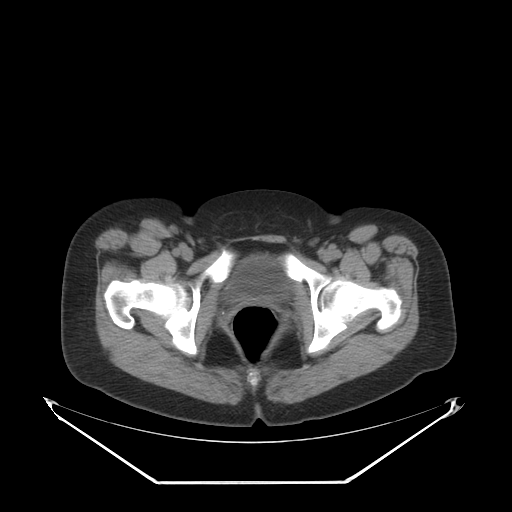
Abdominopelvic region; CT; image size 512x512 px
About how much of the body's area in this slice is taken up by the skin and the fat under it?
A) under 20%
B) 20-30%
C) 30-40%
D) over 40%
D) over 40%
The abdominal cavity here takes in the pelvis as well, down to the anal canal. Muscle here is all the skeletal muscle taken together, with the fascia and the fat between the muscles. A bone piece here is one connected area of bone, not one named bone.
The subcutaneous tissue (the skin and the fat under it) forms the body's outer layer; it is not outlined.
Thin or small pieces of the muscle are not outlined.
Outlines:
torso: 253 188; 296 192; 334 213; 360 205; 391 208; 429 229; 450 275; 457 332; 450 361; 356 409; 280 426; 268 426; 259 418; 249 427; 179 420; 79 382; 62 355; 60 299; 67 248; 83 220; 127 196; 169 196; 191 213; 208 198
abdominal cavity: 243 241; 259 241; 269 244; 284 245; 285 248; 279 258; 285 274; 293 281; 294 299; 291 301; 292 308; 287 307; 279 315; 275 331; 256 366; 252 366; 247 361; 232 329; 218 317; 218 296; 220 289; 238 256; 238 253; 232 244
bones 1: 223 248; 234 250; 237 256; 222 282; 213 282; 208 277; 201 285; 194 328; 198 351; 195 355; 176 348; 164 320; 149 310; 133 308; 131 314; 135 324; 130 329; 113 322; 103 296; 112 280; 177 282; 190 295; 188 282; 209 266
bones 2: 286 251; 307 266; 334 279; 342 277; 368 288; 394 288; 402 300; 397 322; 379 331; 376 322; 381 313; 376 308; 369 308; 348 322; 347 327; 325 348; 307 353; 306 349; 314 333; 310 290; 304 280; 296 281; 286 274; 280 258
bones 3: 249 368; 253 368; 254 369; 255 369; 258 371; 258 374; 257 375; 257 376; 258 377; 258 384; 257 385; 257 386; 256 387; 256 388; 255 388; 254 389; 251 386; 251 385; 247 380; 247 375; 248 374; 248 370; 249 369
muscle: 146 217; 157 218; 163 222; 166 226; 169 227; 169 229; 173 234; 173 240; 172 241; 173 257; 177 262; 186 265; 190 264; 197 258; 208 254; 217 247; 218 243; 223 242; 225 239; 243 236; 260 235; 261 234; 276 234; 277 235; 283 235; 287 237; 295 237; 298 240; 299 247; 306 252; 307 256; 320 261; 322 264; 333 264; 343 254; 345 246; 345 236; 353 228; 358 225; 368 222; 388 227; 394 232; 403 234; 408 237; 416 245; 418 249; 417 255; 417 260; 419 264; 419 272; 417 277; 417 294; 418 295; 418 311; 419 312; 418 329; 412 341; 395 359; 372 372; 342 383; 318 395; 292 404; 274 403; 268 400; 263 394; 262 388; 255 394; 248 392; 244 398; 236 405; 216 404; 203 401; 180 392; 177 392; 144 381; 116 367; 109 362; 105 356; 101 353; 101 347; 95 329; 95 308; 94 306; 95 305; 95 292; 97 284; 97 273; 95 260; 96 249; 94 242; 100 233; 109 228; 124 226; 130 223; 139 221; inner edges: 243 241; 394 288; 401 314; 379 331; 369 308; 307 353; 310 290; 294 280; 292 308; 252 366; 218 317; 223 283; 208 277; 195 355; 149 310; 133 308; 134 326; 122 328; 103 296; 112 280; 177 282; 190 295; 188 282, then 215 330; 219 330; 225 334; 229 338; 231 343; 234 346; 235 351; 239 359; 241 361; 241 363; 235 363; 228 367; 224 367; 221 365; 218 365; 217 364; 207 365; 205 363; 206 356; 207 355; 208 343; 211 337; 214 334; 214 331, then 291 332; 293 332; 294 333; 295 338; 298 342; 298 352; 299 353; 299 362; 296 365; 293 365; 292 366; 277 366; 275 364; 275 362; 272 359; 271 359; 270 357; 274 353; 276 349; 279 346; 283 337; 286 334; 288 334, then 249 368; 253 368; 254 369; 255 369; 258 371; 258 374; 257 375; 257 376; 258 377; 258 384; 257 385; 257 386; 256 387; 256 388; 255 388; 254 389; 251 386; 251 385; 247 380; 247 375; 248 374; 248 370; 249 369